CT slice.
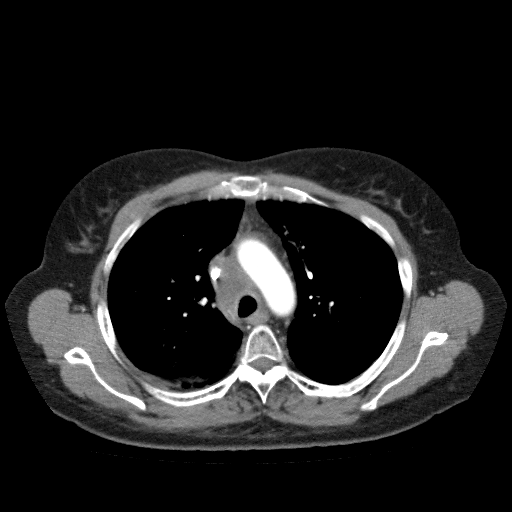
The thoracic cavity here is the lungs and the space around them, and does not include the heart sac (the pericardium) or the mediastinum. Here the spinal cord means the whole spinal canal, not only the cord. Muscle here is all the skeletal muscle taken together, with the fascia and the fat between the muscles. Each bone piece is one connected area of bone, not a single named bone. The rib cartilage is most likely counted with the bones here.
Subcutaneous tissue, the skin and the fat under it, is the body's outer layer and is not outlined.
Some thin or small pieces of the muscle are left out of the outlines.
Outlines (x, y in pixels):
thoracic cavity 1: 220,199 241,199 243,208 234,236 209,260 207,272 215,293 217,308 230,324 240,330 243,342 235,365 216,382 187,391 161,388 148,380 126,356 118,343 107,302 109,276 122,248 150,218 167,208 192,200
thoracic cavity 2: 267,200 315,204 343,212 361,222 380,237 393,251 403,294 398,320 381,353 362,372 348,381 337,384 319,382 293,367 287,350 286,340 288,329 294,319 298,305 297,286 293,269 280,236 258,210 257,201
bones 1: 402,317 403,337 389,362 349,396 306,395 286,377 275,383 265,403 248,382 237,380 220,398 175,406 157,399 141,384 187,392 216,383 236,365 244,340 258,325 271,329 292,368 319,383 342,384 382,353, around a hole outlined by 261,357 264,357 265,358 267,358 268,359 269,359 272,362 272,365 270,367 270,368 267,369 264,372 262,372 261,371 258,370 256,368 255,368 252,365 252,363 255,360 256,360 258,358 260,358
bones 2: 241,174 256,175 262,181 266,181 276,186 286,185 298,188 326,202 330,207 326,207 315,203 298,203 289,200 254,200 250,197 243,199 196,199 202,192 205,192 222,180 228,180 234,175
bones 3: 432,330 446,332 448,336 445,341 440,345 428,346 422,353 420,360 414,370 398,383 391,386 378,399 377,407 374,410 361,410 360,406 362,404 367,402 377,394 384,385 401,375 414,362 424,336
bones 4: 75,346 79,346 83,348 89,355 97,373 105,382 121,393 133,395 141,399 146,406 145,410 140,409 132,403 113,394 106,389 95,378 92,371 86,364 82,363 72,364 69,363 64,357 64,353
bones 5: 99,298 103,298 107,303 107,308 108,309 109,317 110,318 111,324 117,341 117,351 122,361 122,364 121,364 114,357 110,351 108,346 104,341 103,336 101,333 101,331 97,321 97,304 98,303
bones 6: 139,216 141,216 142,217 142,224 134,232 131,237 121,248 112,265 112,267 110,270 109,275 108,276 106,276 104,274 104,272 103,271 103,267 104,266 105,260 108,253 111,250 116,240 122,233 125,228
bones 7: 399,256 403,256 404,257 406,257 408,259 411,266 412,283 411,284 411,293 409,298 406,298 405,297 403,293 403,290 401,285 401,281 400,280 400,276 399,275 399,271 398,270 398,264 397,263 397,258
bones 8: 360,214 365,214 371,217 373,219 377,221 382,226 383,226 387,230 387,231 393,239 394,243 395,244 395,248 394,249 392,249 390,247 390,246 380,236 379,236 371,229 368,228 361,221 360,221 358,218
mediastinum: 247,198 256,201 258,212 279,236 293,272 297,305 293,319 287,329 285,340 286,350 292,367 276,335 268,325 255,325 243,340 241,330 226,319 216,303 216,293 208,272 208,264 235,236 244,208 243,200
spinal cord: 261,357 264,357 265,358 267,358 268,359 269,359 272,362 272,365 270,367 270,368 267,369 264,372 262,372 261,371 258,370 256,368 255,368 252,365 252,363 255,360 256,360 258,358 260,358
torso: 310,146 377,152 413,170 449,208 466,257 498,282 506,299 501,327 467,399 416,427 376,440 234,451 128,445 58,416 22,360 5,300 16,282 39,265 50,221 76,182 106,160 148,148 191,148 247,160
muscle: 211,168 243,173 271,169 293,174 377,206 395,220 416,256 419,295 434,296 440,291 440,287 454,279 475,287 484,306 479,331 470,338 468,347 454,359 452,367 443,376 433,378 415,392 376,409 379,399 415,370 428,347 440,346 446,341 449,336 446,331 429,330 423,336 413,362 362,403 359,409 370,412 350,425 311,427 259,415 251,420 202,430 162,431 136,425 117,411 72,393 62,382 58,368 46,361 42,348 34,342 30,334 27,323 30,302 42,291 56,287 70,293 72,305 88,308 91,276 104,252 111,224 119,209 140,192 179,176 with holes at 241,174 298,188 355,219 360,214 371,217 393,239 395,257 408,259 411,293 409,298 402,296 398,317 406,320 403,337 386,366 357,392 345,397 310,396 286,377 275,383 263,403 248,382 237,380 220,398 175,406 146,391 141,381 150,381 119,344 121,364 104,341 97,321 99,298 107,300 109,277 103,267 125,228 139,216 143,224 and at 75,346 79,346 83,348 89,355 97,373 105,382 121,393 133,395 141,399 146,406 145,410 140,409 132,403 113,394 106,389 95,378 92,371 86,364 82,363 72,364 69,363 64,357 64,353